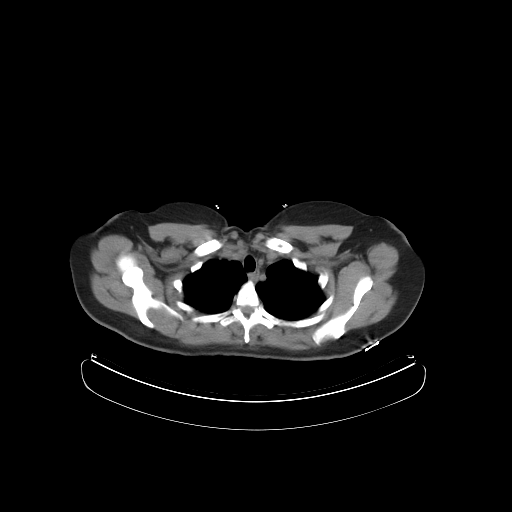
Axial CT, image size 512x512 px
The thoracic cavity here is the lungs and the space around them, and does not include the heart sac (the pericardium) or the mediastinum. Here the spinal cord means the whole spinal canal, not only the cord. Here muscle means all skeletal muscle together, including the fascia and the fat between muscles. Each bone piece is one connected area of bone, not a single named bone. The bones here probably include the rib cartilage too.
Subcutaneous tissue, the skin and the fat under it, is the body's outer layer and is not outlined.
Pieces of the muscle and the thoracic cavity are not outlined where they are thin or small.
thoracic cavity 1: (284, 258) (290, 260) (296, 268) (303, 271) (308, 271) (317, 276) (316, 280) (317, 284) (322, 291) (325, 299) (319, 305) (316, 311) (312, 313) (310, 316) (299, 319) (284, 319) (275, 316) (265, 308) (259, 297) (256, 290) (255, 283) (266, 279) (266, 269) (269, 265)
thoracic cavity 2: (216, 256) (218, 256) (222, 259) (226, 258) (227, 260) (239, 261) (245, 270) (248, 279) (241, 284) (237, 291) (233, 295) (232, 302) (227, 309) (219, 312) (205, 313) (184, 301) (185, 295) (183, 292) (183, 279) (189, 273) (193, 273) (198, 270) (202, 266) (203, 263)
muscle: (162, 222) (207, 224) (221, 234) (236, 231) (246, 241) (282, 222) (351, 225) (349, 247) (385, 242) (397, 249) (399, 296) (384, 318) (345, 333) (373, 286) (365, 274) (354, 286) (352, 304) (311, 333) (317, 346) (326, 339) (333, 339) (330, 343) (304, 350) (249, 346) (250, 330) (259, 324) (272, 329) (320, 323) (334, 295) (323, 293) (328, 271) (314, 274) (294, 255) (229, 250) (199, 259) (171, 284) (184, 295) (175, 301) (179, 309) (204, 313) (193, 315) (192, 322) (222, 327) (238, 322) (244, 344) (191, 347) (154, 329) (150, 309) (183, 317) (153, 296) (131, 252) (121, 252) (115, 265) (132, 290) (137, 319) (101, 304) (89, 283) (90, 250) (100, 237) (116, 233) (134, 241) (148, 235) (149, 225), around holes outlined by (273, 236) (274, 237) (277, 237) (278, 238) (280, 238) (281, 239) (283, 239) (287, 241) (293, 246) (293, 249) (289, 253) (281, 253) (278, 251) (276, 251) (275, 250) (272, 250) (268, 248) (264, 244) (264, 242) (265, 240) (268, 237) (272, 237) and by (210, 238) (215, 238) (219, 240) (223, 244) (222, 246) (219, 249) (211, 253) (206, 254) (200, 257) (197, 256) (194, 253) (194, 250) (196, 248) (196, 247) (198, 246) (202, 242) (204, 241) (206, 241)
right arm: (97, 227) (98, 227) (99, 229) (100, 244) (101, 245) (101, 251) (102, 252) (102, 278) (100, 282) (100, 285) (95, 293) (88, 301) (81, 306) (75, 294) (72, 283) (72, 278) (71, 277) (71, 273) (68, 262) (69, 247) (73, 238) (77, 234) (83, 231) (90, 230)
left arm: (412, 246) (421, 252) (423, 259) (424, 260) (424, 263) (425, 264) (425, 282) (424, 283) (424, 287) (423, 288) (421, 296) (418, 302) (416, 301) (407, 284) (407, 281) (405, 278) (405, 275) (404, 274) (404, 266) (402, 265) (405, 261) (407, 257) (407, 255) (409, 253)
bones 1: (247, 280) (254, 283) (264, 308) (284, 320) (313, 316) (326, 298) (332, 294) (333, 300) (324, 318) (316, 324) (268, 328) (259, 323) (249, 330) (249, 341) (245, 343) (244, 329) (238, 321) (222, 326) (217, 321) (201, 323) (191, 319) (193, 316) (227, 310) (234, 295) with a hole at (244, 306) (249, 306) (250, 307) (251, 307) (252, 308) (252, 311) (250, 313) (250, 314) (248, 316) (246, 316) (243, 313) (243, 312) (242, 311) (242, 309) (241, 308) (242, 307) (243, 307)
bones 2: (121, 253) (131, 253) (134, 256) (143, 271) (143, 281) (151, 290) (152, 296) (177, 311) (182, 319) (163, 309) (154, 308) (150, 308) (147, 311) (147, 315) (154, 325) (153, 328) (147, 327) (138, 319) (131, 301) (133, 290) (122, 281) (121, 273) (116, 265) (116, 259)
bones 3: (365, 275) (369, 275) (371, 277) (373, 281) (372, 286) (362, 296) (356, 310) (347, 321) (345, 325) (344, 334) (337, 339) (326, 338) (320, 344) (317, 345) (312, 338) (312, 333) (322, 323) (334, 316) (345, 312) (353, 304) (353, 292) (355, 286) (358, 280) (362, 276)
bones 4: (273, 236) (274, 237) (277, 237) (278, 238) (280, 238) (281, 239) (283, 239) (287, 241) (293, 246) (293, 249) (289, 253) (281, 253) (278, 251) (276, 251) (275, 250) (272, 250) (268, 248) (264, 244) (264, 242) (265, 240) (268, 237) (272, 237)
bones 5: (210, 238) (215, 238) (219, 240) (223, 244) (222, 246) (219, 249) (211, 253) (206, 254) (200, 257) (197, 256) (194, 253) (194, 250) (196, 248) (196, 247) (198, 246) (202, 242) (204, 241) (206, 241)
bones 6: (323, 271) (327, 271) (327, 272) (328, 273) (328, 280) (327, 281) (327, 283) (326, 284) (325, 287) (322, 290) (321, 289) (320, 286) (318, 284) (318, 282) (317, 281) (317, 280) (318, 279) (318, 276) (319, 275) (319, 274) (321, 272) (322, 272)
bones 7: (177, 300) (179, 300) (180, 301) (183, 301) (185, 303) (186, 303) (187, 304) (188, 304) (190, 306) (191, 306) (192, 307) (193, 307) (194, 308) (194, 310) (191, 312) (187, 312) (185, 310) (183, 310) (182, 309) (181, 309) (180, 308) (179, 308) (176, 305) (176, 301)
bones 8: (293, 256) (296, 257) (299, 260) (305, 262) (305, 263) (307, 266) (307, 270) (303, 270) (302, 269) (300, 269) (299, 268) (296, 267) (294, 265) (293, 262) (291, 260) (291, 259)
bones 9: (176, 278) (180, 278) (182, 280) (182, 293) (179, 293) (178, 292) (178, 291) (173, 286) (173, 285) (172, 284) (172, 282) (173, 281) (173, 280) (174, 279) (175, 279)
bones 10: (199, 260) (201, 260) (202, 261) (202, 264) (201, 265) (201, 266) (198, 269) (197, 269) (195, 271) (194, 271) (193, 272) (191, 272) (191, 271) (190, 270) (190, 268) (191, 267) (191, 266) (193, 264) (194, 264) (196, 262) (197, 262)
spinal cord: (244, 306) (249, 306) (250, 307) (251, 307) (252, 308) (252, 311) (250, 313) (250, 314) (248, 316) (246, 316) (243, 313) (243, 312) (242, 311) (242, 309) (241, 308) (242, 307) (243, 307)
mediastinum: (249, 249) (265, 253) (274, 252) (283, 258) (269, 264) (266, 267) (265, 269) (265, 279) (258, 280) (256, 282) (254, 282) (253, 280) (249, 279) (246, 270) (239, 260) (237, 259) (227, 259) (226, 257) (222, 258) (219, 256) (219, 254) (222, 254) (229, 251) (248, 250)
torso: (316, 199) (342, 202) (382, 216) (411, 244) (401, 265) (417, 304) (401, 327) (365, 349) (313, 361) (184, 356) (136, 344) (100, 325) (82, 308) (103, 278) (99, 226) (116, 213) (147, 212) (167, 202) (191, 201) (217, 207) (230, 225) (246, 231) (263, 224) (283, 204)